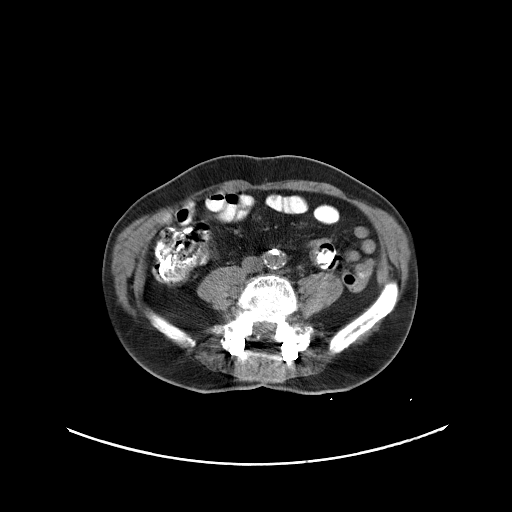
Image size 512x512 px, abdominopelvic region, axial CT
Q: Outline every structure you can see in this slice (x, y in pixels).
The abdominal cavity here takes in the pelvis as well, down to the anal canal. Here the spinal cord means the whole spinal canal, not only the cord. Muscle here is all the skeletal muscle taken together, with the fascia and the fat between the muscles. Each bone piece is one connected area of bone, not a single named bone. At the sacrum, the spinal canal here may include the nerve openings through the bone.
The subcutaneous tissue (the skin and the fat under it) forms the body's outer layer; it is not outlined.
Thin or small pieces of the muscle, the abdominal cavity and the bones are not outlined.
A: The bones appear in 3 outlined pieces: piece 1: 265,274 285,277 292,285 298,308 287,319 292,325 310,325 314,329 305,349 299,350 273,339 277,326 274,322 255,322 251,335 235,339 226,339 212,331 214,324 224,324 235,318 239,309 236,302 247,280; piece 2: 391,280 395,280 397,282 398,284 398,291 399,292 398,294 398,300 393,310 387,315 377,321 371,328 360,335 342,351 338,353 331,353 328,349 328,343 330,338 337,330 363,312 376,299 384,285 387,282; piece 3: 147,310 152,310 154,311 162,316 169,322 185,331 195,341 196,343 195,345 193,347 191,347 188,345 186,346 182,346 177,342 172,340 164,335 161,332 158,331 152,325 150,321 147,318 146,316 146,311. The muscle appears in 4 outlined pieces: piece 1: 232,179 242,179 252,184 290,179 324,182 390,214 404,231 410,251 407,285 395,311 388,315 399,300 399,284 391,279 379,293 376,282 379,239 373,224 359,208 344,199 321,192 285,188 244,189 212,193 182,207 153,236 147,253 142,299 152,309 147,309 145,316 157,331 135,321 117,301 111,272 112,251 118,234 143,215 173,204 202,188; piece 2: 320,272 339,278 343,289 311,319 325,330 336,330 327,349 337,354 316,374 283,382 239,381 199,366 164,337 193,348 196,341 178,326 211,326 226,340 252,335 303,351 315,329 288,319 299,308 298,281; piece 3: 226,266 238,266 246,275 246,279 235,302 235,304 238,307 238,309 234,318 224,323 218,323 220,317 220,312 217,309 214,308 209,302 202,299 198,295 196,290 200,282 212,270 214,270 219,267 225,267; piece 4: 386,316 387,316 381,323 379,329 377,331 374,332 371,335 370,335 368,337 367,340 366,340 361,344 358,344 357,345 351,346 347,349 344,350 346,349 351,344 352,344 360,336 371,329 377,322 378,322. The spinal cord is outlined by 264,322 266,323 274,323 276,325 274,329 275,330 274,331 274,336 272,338 272,339 270,340 264,340 263,339 258,339 256,338 253,335 253,330 254,329 253,327 255,323 263,323. The torso is outlined by 228,154 257,157 296,155 327,163 380,193 407,223 417,255 416,310 399,352 370,380 347,391 308,395 264,386 214,393 198,392 172,385 148,373 118,341 108,318 101,284 104,249 113,225 145,193 197,163. The abdominal cavity is outlined by 272,189 333,196 367,217 379,244 378,294 367,307 328,330 312,319 341,295 339,277 311,273 296,291 285,276 247,279 238,265 212,269 196,287 219,312 212,325 188,329 144,301 150,244 174,215 212,194.